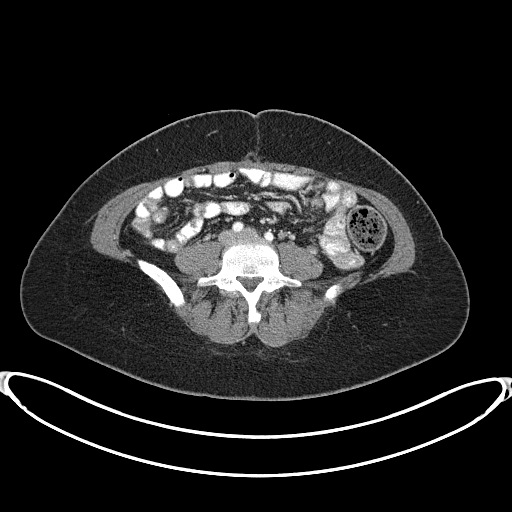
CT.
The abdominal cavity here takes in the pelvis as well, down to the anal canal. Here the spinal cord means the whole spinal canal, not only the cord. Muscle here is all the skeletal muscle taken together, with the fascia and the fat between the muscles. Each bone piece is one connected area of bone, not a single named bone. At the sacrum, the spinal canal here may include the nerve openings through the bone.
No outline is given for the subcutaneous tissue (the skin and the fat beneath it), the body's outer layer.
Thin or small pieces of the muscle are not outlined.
The spinal cord is outlined by 248 290; 251 290; 252 289; 253 289; 254 288; 254 287; 261 280; 261 279; 260 278; 257 278; 256 277; 255 277; 254 278; 252 278; 251 279; 250 279; 249 278; 241 278; 240 277; 238 277; 239 280; 242 283; 242 284. The bones appear in 3 outlined pieces: piece 1: 249 324; 257 323; 261 318; 256 303; 264 291; 272 292; 283 286; 301 285; 299 280; 280 271; 278 255; 271 240; 255 238; 232 240; 222 250; 220 269; 214 275; 199 277; 196 283; 198 286; 215 285; 225 291; 238 292; 248 304 with a hole at 248 290; 251 290; 252 289; 253 289; 254 288; 254 287; 261 280; 261 279; 260 278; 257 278; 256 277; 255 277; 254 278; 252 278; 251 279; 250 279; 249 278; 241 278; 240 277; 238 277; 239 280; 242 283; 242 284; piece 2: 174 306; 180 306; 181 305; 183 305; 185 303; 183 294; 177 283; 163 269; 160 268; 155 264; 151 263; 150 262; 148 262; 142 259; 138 259; 137 263; 140 270; 141 270; 146 275; 151 278; 161 287; 162 290; 169 299; 170 304; piece 3: 330 302; 333 302; 334 301; 334 299; 341 292; 341 285; 339 283; 335 283; 334 284; 333 284; 332 285; 331 285; 330 286; 329 286; 329 287; 325 291; 325 293; 324 294; 324 299; 325 300; 327 300; 328 301; 329 301. The muscle is outlined by 272 347; 306 337; 324 310; 345 291; 410 269; 415 243; 407 222; 391 200; 373 189; 313 168; 252 159; 215 161; 142 182; 114 196; 100 209; 90 234; 93 249; 145 275; 137 259; 120 244; 122 223; 140 198; 180 174; 256 166; 333 179; 370 201; 394 236; 388 259; 362 280; 358 274; 319 279; 323 265; 315 254; 290 242; 278 243; 275 246; 281 271; 299 279; 302 285; 264 292; 257 303; 262 314; 257 324; 247 323; 247 304; 238 293; 195 284; 199 276; 219 269; 222 246; 217 241; 197 240; 185 247; 174 258; 180 272; 166 271; 184 294; 183 306; 170 305; 156 284; 166 303; 194 333; 225 343; 252 334 with a hole at 330 302; 333 302; 334 301; 334 299; 341 292; 341 285; 339 283; 335 283; 334 284; 333 284; 332 285; 331 285; 330 286; 329 286; 329 287; 325 291; 325 293; 324 294; 324 299; 325 300; 327 300; 328 301; 329 301. The torso is outlined by 256 401; 304 399; 346 391; 443 352; 465 327; 469 291; 461 265; 424 198; 368 144; 309 114; 281 109; 255 114; 239 109; 213 110; 150 132; 94 170; 69 196; 31 250; 21 275; 19 300; 23 316; 35 333; 116 371; 180 393. The abdominal cavity is outlined by 361 279; 390 255; 393 236; 370 202; 333 180; 256 167; 180 175; 140 199; 121 230; 126 250; 165 270; 179 272; 173 258; 197 239; 217 240; 223 248; 234 238; 255 237; 274 245; 290 241; 315 253; 324 265; 319 278; 358 273.